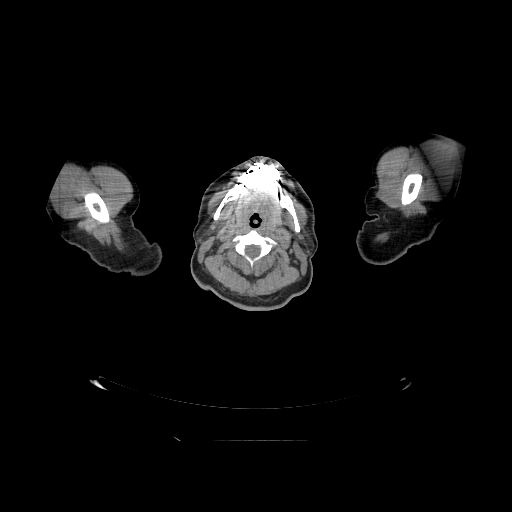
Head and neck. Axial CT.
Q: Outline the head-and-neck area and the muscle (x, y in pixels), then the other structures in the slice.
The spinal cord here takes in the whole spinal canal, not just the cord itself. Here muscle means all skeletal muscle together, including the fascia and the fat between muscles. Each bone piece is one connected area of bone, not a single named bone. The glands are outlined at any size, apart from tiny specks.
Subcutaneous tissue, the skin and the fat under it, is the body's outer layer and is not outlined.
A: Outlines (x, y in pixels):
head and neck: (252, 156) (267, 156) (275, 159) (300, 183) (313, 204) (317, 236) (317, 249) (312, 257) (313, 275) (309, 287) (284, 306) (265, 311) (248, 311) (227, 303) (211, 292) (202, 289) (194, 280) (190, 270) (190, 258) (195, 245) (192, 232) (205, 189) (226, 170) with a hole at (253, 214) (257, 214) (257, 215) (259, 217) (259, 220) (257, 220) (256, 219) (254, 219) (253, 220) (253, 221) (254, 222) (255, 222) (256, 223) (257, 222) (257, 226) (256, 227) (252, 227) (252, 226) (251, 225) (250, 225) (250, 220) (251, 219) (250, 218)
muscle 1: (253, 159) (262, 159) (275, 163) (285, 176) (293, 183) (296, 196) (306, 209) (307, 228) (309, 231) (309, 233) (302, 240) (302, 247) (305, 255) (307, 255) (307, 268) (304, 276) (299, 281) (275, 293) (261, 297) (239, 296) (231, 293) (227, 289) (223, 289) (219, 283) (202, 269) (198, 262) (200, 244) (205, 242) (213, 234) (209, 225) (209, 220) (204, 220) (207, 216) (209, 196) (220, 184) (225, 182) (233, 172) (240, 170) (245, 163), around holes outlined by (254, 163) (270, 165) (278, 171) (281, 184) (289, 193) (296, 212) (300, 229) (298, 232) (294, 230) (292, 216) (280, 203) (280, 194) (276, 194) (269, 178) (263, 172) (253, 174) (242, 186) (242, 193) (223, 206) (218, 219) (213, 219) (224, 194) (237, 181) (240, 173) and by (253, 214) (257, 214) (259, 217) (259, 220) (253, 220) (254, 222) (257, 222) (257, 226) (255, 228) (256, 230) (261, 235) (269, 236) (277, 243) (266, 255) (256, 261) (252, 267) (235, 250) (235, 244) (232, 239) (237, 234) (245, 234) (252, 228) (250, 225) (250, 218)
muscle 2: (444, 138) (456, 143) (458, 159) (451, 183) (445, 191) (438, 206) (417, 228) (412, 231) (405, 233) (386, 244) (375, 242) (373, 240) (373, 236) (380, 218) (380, 205) (375, 196) (379, 183) (377, 175) (377, 165) (379, 160) (386, 152) (396, 147) (429, 139); inner edge: (412, 172) (417, 172) (418, 173) (420, 173) (422, 175) (422, 182) (421, 183) (421, 186) (420, 187) (420, 189) (418, 192) (418, 194) (416, 198) (411, 203) (403, 206) (401, 204) (401, 192) (402, 191) (402, 185) (403, 184) (403, 181) (405, 177) (409, 173) (411, 173)
muscle 3: (66, 163) (81, 165) (110, 166) (120, 171) (128, 179) (133, 189) (133, 197) (123, 207) (117, 217) (117, 221) (123, 231) (125, 239) (129, 243) (128, 249) (125, 251) (119, 250) (117, 251) (100, 244) (79, 231) (56, 212) (51, 202) (50, 197) (51, 190) (60, 171), around a hole outlined by (92, 191) (94, 192) (96, 192) (103, 199) (105, 203) (105, 205) (109, 213) (109, 216) (110, 217) (110, 221) (109, 222) (107, 223) (101, 223) (97, 220) (94, 219) (91, 216) (90, 214) (90, 212) (85, 206) (85, 203) (84, 202) (84, 194) (88, 192) (91, 192)
spinal cord: (248, 245) (257, 245) (258, 246) (259, 246) (259, 247) (260, 248) (260, 249) (259, 250) (259, 252) (255, 256) (250, 256) (246, 252) (246, 251) (245, 250) (245, 248) (246, 247) (246, 246) (247, 246)
bones 1: (254, 163) (270, 165) (278, 171) (281, 184) (289, 193) (296, 212) (300, 229) (298, 232) (294, 230) (292, 216) (280, 203) (280, 194) (276, 194) (269, 178) (263, 172) (253, 174) (242, 186) (242, 193) (223, 206) (218, 219) (213, 219) (224, 194) (237, 181) (240, 173)
bones 2: (252, 228) (255, 228) (256, 230) (261, 235) (269, 236) (277, 243) (273, 246) (270, 251) (266, 255) (256, 261) (254, 263) (254, 265) (252, 267) (250, 265) (250, 264) (235, 250) (235, 248) (234, 247) (234, 245) (235, 244) (232, 241) (232, 239) (237, 234) (245, 234) with a hole at (248, 245) (257, 245) (258, 246) (259, 246) (259, 247) (260, 248) (260, 249) (259, 250) (259, 252) (255, 256) (250, 256) (246, 252) (246, 251) (245, 250) (245, 248) (246, 247) (246, 246) (247, 246)
bones 3: (92, 191) (94, 192) (96, 192) (103, 199) (105, 203) (105, 205) (109, 213) (109, 216) (110, 217) (110, 221) (109, 222) (107, 223) (101, 223) (97, 220) (94, 219) (91, 216) (90, 214) (90, 212) (85, 206) (85, 203) (84, 202) (84, 194) (88, 192) (91, 192)
bones 4: (412, 172) (417, 172) (418, 173) (420, 173) (422, 175) (422, 182) (421, 183) (421, 186) (420, 187) (420, 189) (418, 192) (418, 194) (416, 198) (411, 203) (403, 206) (401, 204) (401, 192) (402, 191) (402, 185) (403, 184) (403, 181) (405, 177) (409, 173) (411, 173)
left arm: (424, 132) (435, 132) (468, 148) (463, 175) (451, 209) (430, 240) (412, 246) (405, 254) (391, 263) (385, 265) (370, 264) (359, 255) (355, 236) (363, 221) (372, 218) (366, 213) (364, 207) (365, 193) (374, 183) (371, 172) (372, 163) (379, 152) (390, 143) (400, 138)
parotid glands 1: (207, 220) (208, 220) (208, 225) (210, 228) (210, 230) (211, 231) (211, 232) (212, 233) (212, 234) (205, 241) (204, 241) (201, 243) (199, 243) (198, 242) (198, 240) (197, 239) (197, 228) (198, 228) (203, 223) (203, 222) (204, 221) (205, 222)
parotid glands 2: (309, 234) (310, 235) (311, 240) (313, 243) (313, 248) (312, 249) (312, 250) (310, 252) (310, 253) (309, 254) (307, 254) (306, 255) (306, 253) (305, 252) (305, 251) (304, 250) (304, 248) (303, 247) (303, 240) (304, 239) (304, 238) (307, 235) (308, 235)
right arm: (72, 154) (89, 154) (105, 158) (121, 166) (133, 178) (140, 193) (140, 202) (133, 216) (134, 224) (149, 241) (158, 242) (162, 249) (162, 260) (155, 271) (141, 277) (134, 277) (125, 272) (110, 272) (60, 236) (46, 212) (45, 200) (69, 155)